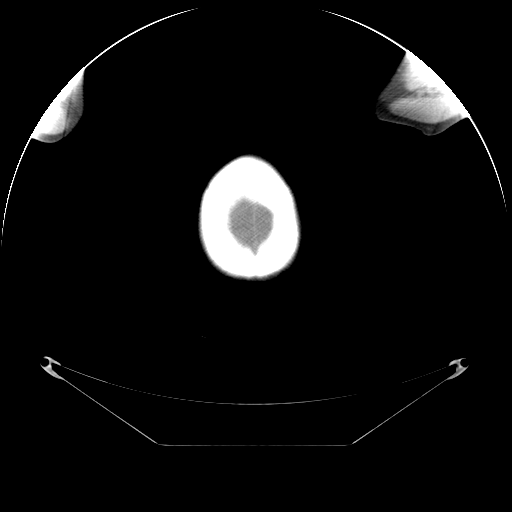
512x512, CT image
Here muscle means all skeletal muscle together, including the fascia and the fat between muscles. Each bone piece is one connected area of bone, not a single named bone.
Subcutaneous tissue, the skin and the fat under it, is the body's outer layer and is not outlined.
{"head":[[[246,151],[254,151],[263,154],[271,160],[280,170],[294,191],[303,224],[303,241],[295,265],[290,271],[282,275],[275,281],[269,283],[253,284],[235,282],[216,273],[204,259],[197,241],[196,223],[198,207],[201,194],[208,180],[214,172],[228,160]]],"bones":[{"outer":[[245,154],[255,155],[263,158],[271,163],[283,176],[295,197],[300,225],[299,246],[291,262],[280,271],[260,278],[258,277],[246,278],[233,276],[215,266],[208,258],[203,249],[198,231],[199,203],[201,194],[208,180],[219,168],[228,161],[237,156]],"hole":[[242,200],[246,200],[253,204],[258,204],[266,208],[269,211],[271,215],[270,229],[267,233],[266,236],[259,242],[255,250],[254,250],[249,245],[245,243],[243,243],[240,241],[240,240],[234,234],[231,228],[231,213],[237,204]]}],"brain":[[[242,200],[246,200],[253,204],[258,204],[266,208],[269,211],[271,215],[270,229],[267,233],[266,236],[259,242],[255,250],[254,250],[249,245],[245,243],[243,243],[240,241],[240,240],[234,234],[231,228],[231,213],[237,204]]],"right_arm":[[[80,72],[82,72],[85,77],[85,111],[83,114],[82,119],[75,129],[70,134],[64,138],[57,142],[54,142],[53,143],[42,142],[34,137],[29,136],[31,133],[30,131],[33,131],[34,130],[41,116],[53,99],[61,89],[74,76]]],"left_arm":[[[407,52],[410,52],[414,54],[429,66],[452,90],[462,103],[468,113],[465,117],[457,123],[449,127],[446,130],[439,134],[431,135],[430,136],[424,135],[419,130],[408,126],[381,121],[377,119],[373,114],[372,103],[376,94],[384,85],[398,62]]],"muscle":[[[408,52],[414,54],[422,60],[447,84],[462,103],[467,111],[466,112],[454,118],[442,122],[439,122],[435,124],[428,124],[399,116],[392,113],[388,109],[387,105],[390,100],[389,96],[394,89],[394,84],[396,82],[400,70],[403,66],[404,58]],[[77,74],[78,75],[78,92],[75,98],[72,114],[66,126],[66,128],[63,131],[61,131],[57,133],[53,133],[52,134],[43,134],[42,133],[40,133],[39,131],[33,131],[41,116],[53,99],[57,95],[61,89],[74,76]]]}